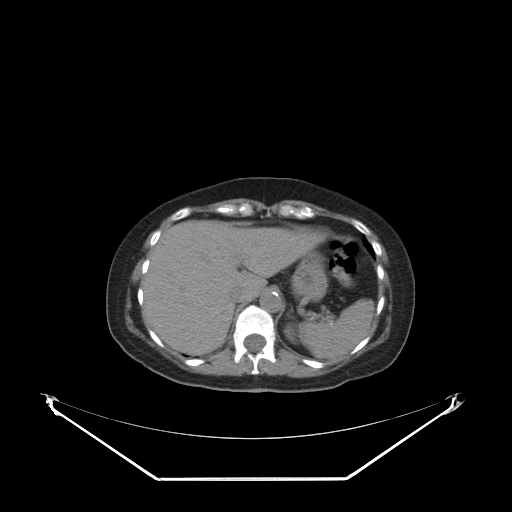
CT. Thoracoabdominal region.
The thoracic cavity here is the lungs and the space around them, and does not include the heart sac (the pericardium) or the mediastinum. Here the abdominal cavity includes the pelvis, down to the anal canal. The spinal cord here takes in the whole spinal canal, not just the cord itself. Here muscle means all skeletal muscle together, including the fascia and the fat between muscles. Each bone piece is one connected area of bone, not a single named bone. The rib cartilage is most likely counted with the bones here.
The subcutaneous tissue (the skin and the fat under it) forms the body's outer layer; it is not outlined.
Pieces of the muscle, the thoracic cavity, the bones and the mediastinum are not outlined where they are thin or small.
The muscle appears in 3 outlined pieces: piece 1: 168,216 171,223 163,231 156,229 150,236 148,243 151,251 149,257 141,264 143,277 141,287 136,290 136,298 141,306 144,322 149,327 147,330 149,336 161,348 165,347 185,358 183,363 191,367 203,364 205,359 202,358 219,353 231,336 234,347 233,361 238,363 245,355 252,363 250,374 207,375 184,370 128,330 124,309 130,276 145,239; piece 2: 370,229 378,236 389,261 392,311 387,339 342,367 322,375 297,378 259,374 258,363 261,359 272,363 276,361 277,333 280,342 287,349 302,357 301,361 304,364 315,369 323,368 324,362 340,360 347,354 352,355 368,343 376,315 380,314 385,302 384,295 379,297 384,268 376,261 376,256 379,257 382,254 382,249 376,240 368,240; piece 3: 233,198 254,199 260,201 266,205 271,205 284,199 301,200 310,202 321,207 326,208 331,211 337,213 341,213 355,218 353,218 351,220 350,224 338,219 334,219 323,216 316,216 315,212 310,206 307,205 293,206 290,204 281,204 278,207 277,210 277,213 279,215 276,214 271,215 269,212 267,212 263,216 261,216 258,214 254,214 255,211 254,207 247,201 238,205 234,203 225,203 221,205 218,205 214,209 214,211 216,213 213,212 207,212 206,213 200,212 191,214 192,213 192,209 189,206 205,205 209,203 221,201 226,199 232,199. The bones appear in 12 outlined pieces: piece 1: 251,304 258,306 271,315 276,332 276,338 274,341 275,361 272,362 265,358 261,358 257,363 257,368 259,372 258,374 251,374 253,363 245,354 238,362 234,361 235,347 232,334 235,329 236,318 245,307; inner edge: 252,334 257,334 258,335 260,335 262,336 264,338 264,340 265,341 265,343 264,345 260,349 260,350 256,352 251,352 249,351 244,344 244,340 245,338 249,335 251,335; piece 2: 281,205 290,205 293,207 303,207 304,206 307,206 308,207 310,207 312,209 312,210 315,214 315,216 314,217 311,217 310,218 304,218 303,219 299,219 293,216 285,217 284,216 280,215 278,213 279,207; piece 3: 246,202 249,203 253,207 253,210 254,211 252,215 248,215 247,216 242,216 240,215 239,213 236,213 234,215 225,215 221,213 217,213 215,211 215,209 218,206 221,206 225,204 234,204 238,206; piece 4: 186,206 188,206 191,209 191,213 189,215 188,215 186,217 184,217 181,219 178,219 177,220 175,220 174,221 173,221 170,219 170,216 174,212 175,212 177,210 178,210 180,208 182,208 183,207 185,207; piece 5: 353,219 356,219 357,220 359,220 361,222 362,222 369,229 369,230 370,231 370,234 369,235 368,235 367,236 366,236 364,234 363,234 361,232 360,232 357,229 356,229 351,224 351,222 352,221 352,220; piece 6: 187,358 201,358 202,359 204,359 204,362 203,363 201,363 200,364 199,364 198,365 196,365 195,366 191,366 190,365 187,365 185,363 184,363 184,360 185,359 186,359; piece 7: 304,358 305,359 307,359 310,361 319,361 320,362 323,362 324,363 324,366 323,367 321,367 320,368 315,368 314,367 312,367 311,366 310,366 309,365 308,365 307,364 304,363 302,361 302,359 303,359; piece 8: 367,336 369,336 370,337 370,338 369,339 369,340 367,342 367,343 365,345 364,345 360,349 359,349 356,352 355,352 354,353 353,353 352,354 351,354 350,353 350,352 362,340 363,340; piece 9: 149,329 151,329 156,334 156,335 159,338 159,339 163,343 163,344 164,345 164,347 161,347 158,344 157,344 153,340 153,339 150,336 150,335 149,334 149,333 148,332 148,330; piece 10: 156,230 160,230 161,231 161,233 160,234 160,235 159,236 159,238 157,240 157,241 152,246 151,245 150,245 150,244 149,243 149,242 150,241 150,239 151,238 151,236 152,235 152,234; piece 11: 372,240 374,240 375,241 376,241 380,245 380,248 381,249 381,254 379,256 378,256 377,255 376,255 375,254 375,252 374,251 374,250 373,249 373,247 372,246 372,245 371,244 371,243 370,242; piece 12: 382,295 383,296 384,296 384,302 383,303 383,306 382,307 382,309 381,310 381,311 379,313 379,314 378,314 377,315 376,314 376,308 377,307 377,303 378,302 378,300 379,299 379,298. The mediastinum appears in 2 outlined pieces: piece 1: 289,217 293,217 299,220 310,219 315,217 323,217 324,218 338,220 351,225 363,235 362,236 362,239 355,235 341,234 337,230 335,230 331,225 328,225 323,223 305,223 298,220 293,220 289,218; piece 2: 270,290 272,291 277,291 282,301 282,306 281,307 281,309 277,314 274,321 274,319 272,315 265,309 253,303 248,304 257,298 258,296 259,296 260,294 262,293 262,292 266,292. The thoracic cavity is outlined by 364,235 364,236 366,238 366,239 370,243 370,244 372,247 372,249 373,250 373,251 374,252 374,254 375,255 375,259 373,257 373,256 370,253 368,248 367,247 366,247 366,246 363,241 363,236. The torso is outlined by 248,176 299,178 341,191 375,209 399,234 414,273 415,307 406,342 399,355 385,370 321,391 277,393 214,390 180,384 145,368 127,355 113,339 105,312 106,282 112,257 128,230 144,214 171,197 201,186. The spinal cord is outlined by 252,334 257,334 258,335 260,335 262,336 264,338 264,340 265,341 265,343 264,345 260,349 260,350 256,352 251,352 249,351 244,344 244,340 245,338 249,335 251,335. The abdominal cavity is outlined by 200,213 276,215 331,226 341,235 358,237 376,262 379,281 369,335 340,359 300,356 280,340 275,320 283,301 277,290 270,289 237,314 233,332 219,352 185,357 166,347 145,322 142,279 162,232 172,222.